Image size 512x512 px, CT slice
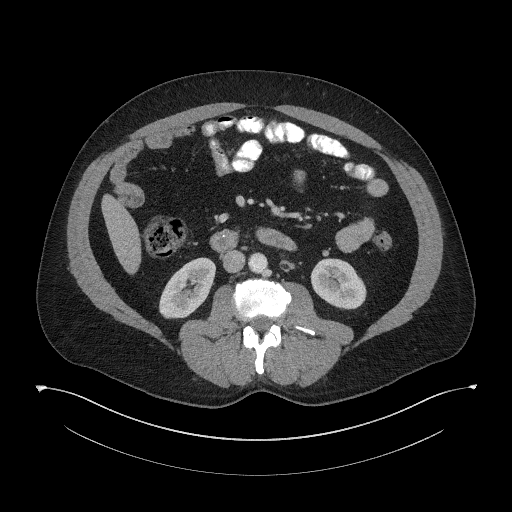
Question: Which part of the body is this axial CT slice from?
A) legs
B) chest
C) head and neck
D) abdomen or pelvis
Answer: D) abdomen or pelvis
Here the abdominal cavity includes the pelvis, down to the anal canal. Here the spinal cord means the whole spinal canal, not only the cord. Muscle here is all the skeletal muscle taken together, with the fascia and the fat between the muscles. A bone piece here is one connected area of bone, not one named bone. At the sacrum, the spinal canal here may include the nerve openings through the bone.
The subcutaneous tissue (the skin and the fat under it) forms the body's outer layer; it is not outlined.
Outlined structures:
torso: [[208,409],[234,404],[256,392],[310,407],[353,399],[449,360],[470,335],[475,316],[473,279],[437,172],[400,123],[347,88],[269,70],[220,70],[163,82],[134,96],[98,125],[80,148],[61,186],[36,282],[36,309],[47,341],[75,366],[152,397]]
bones 1: [[258,374],[263,373],[263,356],[265,351],[269,347],[277,347],[281,343],[280,318],[285,313],[291,300],[291,296],[279,283],[248,279],[235,284],[232,299],[235,314],[243,324],[243,346],[246,348],[253,348],[255,350],[256,358],[254,365]] with a hole at [[261,334],[262,333],[264,333],[266,331],[267,331],[268,328],[270,326],[270,325],[271,324],[271,320],[270,319],[268,319],[265,317],[257,317],[255,319],[252,320],[252,321],[251,322],[251,324],[252,325],[252,326],[258,333],[260,333]]
bones 2: [[310,335],[314,335],[315,334],[315,332],[313,330],[311,329],[309,329],[308,328],[306,328],[305,327],[302,327],[298,325],[296,325],[294,326],[294,327],[296,329],[298,330],[300,330]]
spinal cord: [[261,334],[262,333],[264,333],[266,331],[267,331],[268,328],[270,326],[270,325],[271,324],[271,320],[270,319],[268,319],[265,317],[257,317],[255,319],[252,320],[252,321],[251,322],[251,324],[252,325],[252,326],[258,333],[260,333]]
muscle: [[222,388],[234,385],[245,386],[259,378],[288,387],[306,387],[313,384],[325,375],[349,349],[409,321],[412,318],[412,314],[428,300],[438,278],[443,254],[443,230],[436,204],[424,179],[407,161],[362,130],[334,116],[290,104],[273,106],[237,102],[215,102],[192,107],[148,123],[109,146],[92,160],[78,181],[70,202],[66,231],[70,272],[78,286],[90,302],[104,315],[141,330],[155,338],[200,377]], around holes outlined by [[258,374],[265,351],[281,343],[280,318],[291,300],[281,281],[304,286],[320,317],[360,335],[405,292],[417,234],[379,156],[281,112],[248,108],[128,146],[98,191],[89,232],[113,287],[169,336],[203,317],[215,290],[230,283],[242,343],[255,350]] and by [[310,335],[314,335],[315,334],[315,332],[313,330],[311,329],[309,329],[308,328],[306,328],[305,327],[302,327],[298,325],[296,325],[294,326],[294,327],[296,329],[298,330],[300,330]]
abdominal cavity: [[172,337],[183,323],[209,311],[218,287],[230,283],[233,289],[248,278],[297,282],[309,291],[320,317],[362,334],[402,297],[416,257],[416,226],[388,165],[357,143],[264,108],[154,133],[128,146],[117,155],[96,196],[91,245],[120,296]]